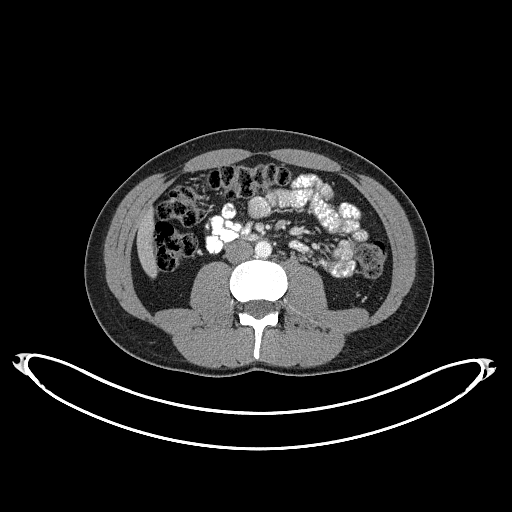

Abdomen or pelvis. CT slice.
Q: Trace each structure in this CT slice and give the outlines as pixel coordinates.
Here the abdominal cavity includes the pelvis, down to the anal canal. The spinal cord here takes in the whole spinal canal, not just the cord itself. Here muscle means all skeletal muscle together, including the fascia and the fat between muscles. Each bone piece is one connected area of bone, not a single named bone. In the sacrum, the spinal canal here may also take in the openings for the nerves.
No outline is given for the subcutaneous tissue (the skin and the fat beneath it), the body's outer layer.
A: The abdominal cavity is outlined by [[152,313],[168,307],[190,307],[191,285],[204,263],[221,260],[232,269],[255,257],[283,266],[311,266],[322,276],[329,308],[360,306],[373,313],[390,285],[390,244],[375,210],[337,173],[287,164],[265,155],[187,172],[152,203],[134,236],[134,287]]. The muscle is outlined by [[211,368],[233,368],[256,361],[284,367],[320,365],[342,350],[352,332],[391,315],[409,292],[416,264],[413,232],[395,197],[369,176],[321,154],[291,148],[208,151],[153,174],[131,189],[118,205],[104,242],[108,287],[128,313],[167,333],[185,360]], around a hole outlined by [[256,359],[263,329],[278,321],[286,264],[320,273],[329,308],[360,306],[370,313],[387,294],[392,268],[381,220],[347,179],[265,155],[180,175],[140,220],[131,253],[136,293],[152,313],[190,307],[199,268],[214,260],[227,263],[239,322],[254,329]]. The spinal cord is outlined by [[257,318],[260,318],[264,315],[265,315],[267,313],[270,312],[273,309],[273,306],[272,305],[272,303],[271,303],[268,301],[266,301],[265,300],[252,300],[251,301],[249,301],[248,302],[245,303],[244,304],[244,310],[249,314],[250,314]]. The bones are outlined by [[256,359],[259,357],[259,346],[263,329],[267,325],[275,325],[278,321],[277,302],[287,289],[287,276],[281,265],[255,258],[238,264],[232,270],[229,279],[229,289],[239,303],[237,313],[239,322],[243,325],[250,325],[254,329],[255,343],[253,355]] with a hole at [[257,318],[260,318],[264,315],[265,315],[267,313],[270,312],[273,309],[273,306],[272,305],[272,303],[271,303],[268,301],[266,301],[265,300],[252,300],[251,301],[249,301],[248,302],[245,303],[244,304],[244,310],[249,314],[250,314]]. The torso is outlined by [[209,377],[254,370],[293,376],[348,370],[387,356],[413,335],[431,299],[433,255],[416,207],[381,168],[358,153],[317,136],[272,128],[230,128],[162,151],[137,168],[112,193],[92,226],[84,258],[85,288],[96,320],[112,342],[131,356],[165,369]].